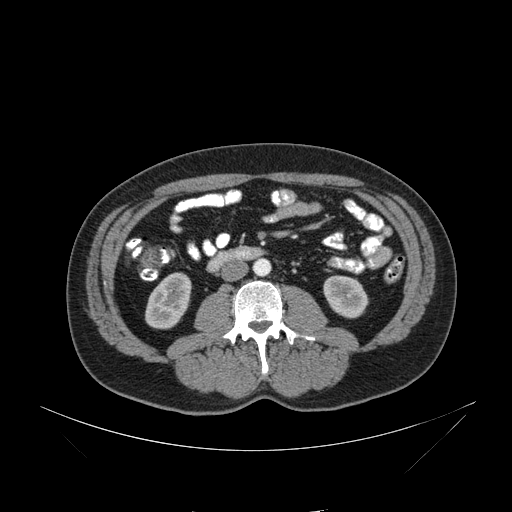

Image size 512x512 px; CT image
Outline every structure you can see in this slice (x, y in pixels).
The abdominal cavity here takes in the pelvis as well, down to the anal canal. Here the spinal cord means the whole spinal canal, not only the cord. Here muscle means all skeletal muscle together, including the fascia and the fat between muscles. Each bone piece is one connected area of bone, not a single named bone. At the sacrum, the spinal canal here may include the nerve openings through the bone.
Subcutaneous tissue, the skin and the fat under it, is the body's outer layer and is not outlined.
Outlines:
bones: (262, 375) (268, 371) (266, 343) (271, 337) (277, 339) (282, 331) (290, 344) (296, 337) (311, 341) (315, 337) (284, 323) (283, 303) (276, 286) (269, 281) (253, 280) (237, 290) (233, 298) (234, 324) (222, 337) (232, 344) (238, 335) (244, 341) (252, 339) (259, 351); inner edge: (259, 333) (261, 333) (262, 332) (263, 332) (269, 326) (269, 325) (270, 324) (270, 322) (269, 322) (268, 321) (263, 321) (262, 322) (252, 322) (251, 323) (250, 323) (250, 327) (251, 327) (255, 331) (256, 331) (257, 332) (258, 332)
torso: (194, 416) (233, 412) (260, 399) (301, 412) (331, 411) (391, 394) (424, 374) (438, 357) (452, 324) (457, 273) (447, 233) (423, 197) (391, 172) (348, 152) (302, 143) (256, 142) (170, 157) (100, 198) (82, 222) (68, 261) (66, 311) (76, 354) (90, 376) (113, 393)
abdominal cavity: (162, 352) (177, 337) (195, 331) (193, 318) (207, 295) (222, 283) (236, 291) (253, 279) (308, 291) (328, 325) (344, 327) (364, 343) (389, 321) (403, 296) (408, 262) (395, 227) (353, 192) (264, 178) (166, 199) (126, 235) (114, 278) (124, 321)
spinal cord: (259, 333) (261, 333) (262, 332) (263, 332) (269, 326) (269, 325) (270, 324) (270, 322) (269, 322) (268, 321) (263, 321) (262, 322) (252, 322) (251, 323) (250, 323) (250, 327) (251, 327) (255, 331) (256, 331) (257, 332) (258, 332)
muscle: (297, 399) (314, 397) (329, 390) (345, 374) (353, 353) (398, 342) (407, 336) (424, 313) (435, 282) (435, 256) (427, 228) (411, 206) (391, 192) (344, 175) (295, 171) (260, 174) (217, 173) (184, 178) (158, 186) (112, 210) (102, 220) (91, 243) (85, 283) (89, 316) (97, 326) (101, 336) (109, 344) (125, 354) (140, 357) (145, 361) (170, 365) (180, 382) (190, 389) (208, 396) (241, 398) (251, 394) (260, 383) (267, 382) (280, 394) with a hole at (262, 375) (271, 337) (315, 340) (282, 320) (283, 284) (308, 291) (328, 325) (361, 343) (400, 304) (408, 262) (397, 231) (353, 192) (253, 179) (170, 197) (124, 239) (114, 295) (134, 334) (163, 352) (195, 331) (200, 302) (228, 283) (234, 324) (222, 337) (252, 339)